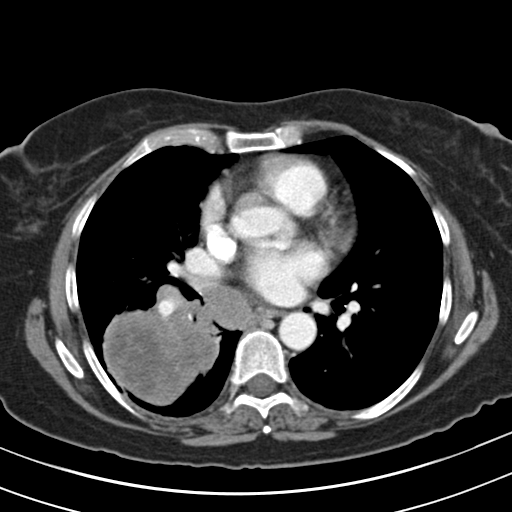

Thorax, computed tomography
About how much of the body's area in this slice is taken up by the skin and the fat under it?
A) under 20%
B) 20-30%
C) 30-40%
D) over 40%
C) 30-40%
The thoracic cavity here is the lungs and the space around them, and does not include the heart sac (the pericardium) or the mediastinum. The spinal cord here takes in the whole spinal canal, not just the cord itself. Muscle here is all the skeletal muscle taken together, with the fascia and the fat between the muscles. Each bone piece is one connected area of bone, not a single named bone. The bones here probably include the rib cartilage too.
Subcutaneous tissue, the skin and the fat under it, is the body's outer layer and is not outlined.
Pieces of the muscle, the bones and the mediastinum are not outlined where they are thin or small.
The muscle is outlined by 286 119; 345 123; 429 174; 462 227; 472 257; 494 285; 500 312; 491 336; 456 373; 423 398; 354 433; 326 439; 278 440; 268 434; 272 428; 265 423; 261 428; 264 434; 251 441; 192 446; 115 425; 85 410; 27 347; 23 332; 27 307; 40 294; 65 215; 87 186; 148 133; 190 122; 227 124; 241 131; 227 129; 221 134; 186 127; 144 137; 99 197; 94 192; 84 201; 72 223; 71 236; 79 240; 75 265; 70 262; 64 272; 65 297; 72 313; 81 312; 88 336; 81 339; 81 348; 103 388; 142 420; 145 417; 131 403; 152 414; 185 417; 206 409; 228 390; 230 401; 219 408; 227 417; 246 405; 265 420; 278 404; 288 405; 300 417; 310 406; 291 393; 292 387; 316 404; 356 410; 349 415; 352 419; 369 420; 395 406; 417 383; 435 329; 447 322; 452 308; 452 280; 443 275; 443 246; 448 247; 451 240; 447 220; 436 205; 430 206; 413 179; 416 171; 399 156; 347 134; 302 137; 303 128; 297 123; 258 131, around holes outlined by 56 337; 58 337; 63 342; 65 346; 69 350; 69 351; 72 354; 74 358; 78 362; 78 363; 82 368; 83 372; 84 373; 84 376; 83 378; 81 378; 80 379; 79 378; 75 377; 65 367; 65 366; 63 364; 55 348; 55 338 and by 473 310; 476 310; 478 312; 478 317; 477 318; 477 320; 471 332; 469 334; 469 335; 460 344; 455 344; 453 340; 454 339; 454 336; 456 332; 458 330; 464 318; 467 315; 467 314; 469 312. The spinal cord is outlined by 260 373; 267 375; 270 377; 274 382; 281 382; 281 389; 279 390; 279 392; 272 392; 269 395; 265 396; 264 397; 258 397; 257 396; 253 395; 249 392; 243 392; 243 385; 246 385; 248 381; 251 378; 257 374; 259 374. The thoracic cavity appears in 2 outlined pieces: piece 1: 180 145; 195 146; 210 154; 237 155; 230 167; 210 184; 199 203; 198 234; 201 251; 219 279; 241 293; 255 315; 237 341; 229 386; 223 396; 190 415; 164 416; 132 402; 100 363; 80 307; 76 261; 88 217; 116 176; 159 148; piece 2: 335 135; 355 138; 413 180; 430 207; 442 244; 438 318; 425 351; 399 386; 381 400; 360 409; 333 409; 309 399; 296 389; 287 367; 291 358; 316 340; 318 324; 313 312; 318 288; 351 249; 359 223; 350 184; 329 153; 280 151. The pericardium is outlined by 270 152; 310 154; 331 162; 349 186; 357 221; 355 239; 341 261; 320 282; 305 301; 287 307; 271 305; 262 301; 241 281; 212 262; 206 248; 203 244; 202 245; 200 237; 200 203; 207 195; 211 184; 232 167; 255 156. The mediastinum appears in 3 outlined pieces: piece 1: 200 238; 201 245; 205 248; 211 262; 241 282; 266 304; 282 308; 297 306; 305 302; 317 288; 312 312; 317 324; 317 336; 313 343; 301 353; 291 357; 287 363; 281 343; 271 332; 258 328; 241 336; 256 315; 242 293; 220 279; 202 251; 201 248; piece 2: 279 149; 280 149; 279 151; 270 151; 269 152; 265 152; 264 153; 255 155; 252 157; 250 157; 248 159; 246 159; 241 163; 238 163; 231 167; 234 162; 235 162; 238 158; 238 155; 237 154; 247 153; 248 152; 278 150; piece 3: 311 154; 315 154; 316 155; 324 155; 325 154; 329 154; 331 156; 331 157; 333 159; 335 163; 338 166; 338 167; 342 172; 347 182; 346 182; 346 181; 344 180; 338 168; 331 161; 329 160; 326 160; 317 155; 314 155; 313 154. The bones appear in 11 outlined pieces: piece 1: 258 329; 271 333; 280 343; 286 367; 293 384; 290 393; 309 406; 303 415; 297 415; 286 403; 278 403; 271 407; 265 419; 254 407; 246 404; 239 405; 227 416; 220 408; 226 402; 231 401; 229 399; 229 375; 238 341; 242 336 with a hole at 260 373; 267 375; 270 377; 274 382; 281 382; 281 389; 279 390; 279 392; 272 392; 269 395; 265 396; 264 397; 258 397; 257 396; 253 395; 249 392; 243 392; 243 385; 246 385; 248 381; 251 378; 257 374; 259 374; piece 2: 289 124; 299 125; 302 128; 302 136; 300 143; 287 147; 241 153; 234 153; 226 150; 210 153; 195 145; 165 145; 147 153; 120 170; 122 164; 146 137; 186 128; 211 130; 221 135; 227 130; 237 132; 268 132; 279 126; piece 3: 421 361; 424 362; 424 368; 420 377; 412 388; 406 394; 406 395; 395 405; 380 415; 369 419; 356 419; 355 418; 352 418; 350 416; 353 412; 355 412; 357 410; 367 408; 381 401; 391 394; 406 380; 406 379; 412 373; piece 4: 83 338; 86 338; 89 340; 99 363; 104 369; 109 378; 116 386; 119 391; 127 397; 131 402; 130 403; 131 405; 144 417; 143 419; 134 415; 123 407; 112 397; 112 396; 101 384; 91 369; 84 354; 84 352; 82 348; 82 339; piece 5: 70 263; 74 264; 75 266; 75 280; 76 281; 76 289; 77 290; 77 297; 78 298; 78 302; 80 308; 80 313; 78 312; 72 312; 70 310; 70 308; 68 305; 67 298; 66 297; 66 292; 65 291; 65 272; 68 265; piece 6: 56 337; 58 337; 63 342; 65 346; 69 350; 69 351; 72 354; 74 358; 78 362; 78 363; 82 368; 83 372; 84 373; 84 376; 83 378; 81 378; 80 379; 79 378; 75 377; 65 367; 65 366; 63 364; 55 348; 55 338; piece 7: 94 193; 96 193; 97 194; 97 199; 95 203; 93 205; 87 217; 87 219; 83 226; 83 228; 81 231; 81 233; 79 236; 79 238; 73 237; 72 236; 72 227; 73 226; 73 223; 76 217; 76 215; 82 205; 85 202; 85 201; piece 8: 445 276; 448 276; 451 280; 451 286; 452 287; 452 299; 451 300; 451 308; 450 309; 449 315; 447 318; 447 320; 443 325; 440 325; 438 324; 438 319; 439 318; 439 311; 440 310; 441 298; 442 297; 442 290; 443 289; 443 279; piece 9: 473 310; 476 310; 478 312; 478 317; 477 318; 477 320; 471 332; 469 334; 469 335; 460 344; 455 344; 453 340; 454 339; 454 336; 456 332; 458 330; 464 318; 467 315; 467 314; 469 312; piece 10: 433 206; 436 206; 443 214; 446 220; 446 222; 449 229; 449 239; 450 240; 449 241; 449 244; 448 246; 446 247; 444 246; 442 243; 440 232; 439 231; 438 226; 436 223; 435 218; 433 215; 433 213; 431 209; 431 208; piece 11: 375 146; 377 146; 380 148; 382 148; 394 154; 396 156; 399 157; 407 164; 408 164; 415 171; 416 175; 412 178; 399 166; 398 166; 395 163; 394 163; 389 159; 386 158; 384 156; 380 154; 377 151; 376 151; 374 149; 374 147. The torso is outlined by 138 87; 234 101; 265 101; 350 87; 434 103; 477 122; 488 122; 511 139; 511 397; 484 404; 475 415; 458 420; 449 429; 402 447; 344 461; 279 469; 232 470; 134 461; 47 436; 11 416; 0 401; 0 152; 68 108; 100 95.